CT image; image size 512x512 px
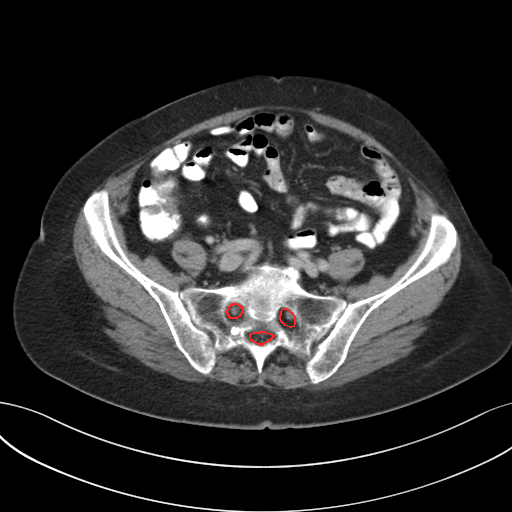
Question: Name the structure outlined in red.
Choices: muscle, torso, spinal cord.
Answer: red: spinal cord.
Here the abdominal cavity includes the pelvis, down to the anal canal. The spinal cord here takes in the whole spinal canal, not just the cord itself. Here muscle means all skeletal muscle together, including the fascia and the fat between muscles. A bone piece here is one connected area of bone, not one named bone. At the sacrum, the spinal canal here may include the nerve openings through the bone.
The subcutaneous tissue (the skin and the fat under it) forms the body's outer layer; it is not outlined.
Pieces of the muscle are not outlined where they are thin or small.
Outlined structures:
spinal cord 1: (261, 331) (264, 331) (265, 332) (270, 333) (272, 335) (273, 335) (273, 336) (269, 340) (268, 340) (266, 342) (265, 342) (261, 345) (260, 344) (258, 344) (254, 342) (252, 340) (251, 340) (250, 338) (250, 334) (251, 333) (253, 332) (260, 332)
spinal cord 2: (284, 308) (286, 308) (288, 309) (289, 311) (291, 312) (294, 316) (294, 324) (293, 326) (291, 327) (289, 327) (285, 325) (281, 321) (280, 319) (280, 315) (281, 314) (281, 311) (282, 309)
spinal cord 3: (233, 303) (236, 303) (237, 304) (238, 304) (240, 306) (241, 306) (241, 307) (242, 308) (242, 311) (241, 312) (241, 313) (239, 315) (239, 316) (236, 318) (231, 318) (230, 317) (229, 317) (229, 316) (227, 313) (227, 310) (228, 309) (229, 306) (231, 304) (232, 304)
bones: (102, 189) (126, 256) (173, 291) (235, 284) (267, 262) (292, 266) (308, 292) (350, 303) (406, 272) (433, 213) (457, 240) (445, 263) (371, 311) (326, 379) (312, 383) (309, 358) (282, 347) (260, 373) (246, 349) (218, 352) (206, 375) (154, 298) (94, 243) (83, 206); inner edges: (261, 331) (264, 331) (265, 332) (270, 333) (272, 335) (273, 335) (273, 336) (269, 340) (268, 340) (266, 342) (265, 342) (261, 345) (260, 344) (258, 344) (254, 342) (252, 340) (251, 340) (250, 338) (250, 334) (251, 333) (253, 332) (260, 332), then (284, 308) (286, 308) (288, 309) (289, 311) (291, 312) (294, 316) (294, 324) (293, 326) (291, 327) (289, 327) (285, 325) (281, 321) (280, 319) (280, 315) (281, 314) (281, 311) (282, 309), then (233, 303) (236, 303) (237, 304) (238, 304) (240, 306) (241, 306) (241, 307) (242, 308) (242, 311) (241, 312) (241, 313) (239, 315) (239, 316) (236, 318) (231, 318) (230, 317) (229, 317) (229, 316) (227, 313) (227, 310) (228, 309) (229, 306) (231, 304) (232, 304)
torso: (252, 73) (348, 82) (383, 97) (417, 126) (450, 168) (471, 222) (511, 280) (511, 348) (498, 362) (445, 391) (385, 413) (315, 427) (234, 429) (130, 411) (85, 394) (30, 361) (14, 331) (12, 298) (24, 258) (39, 234) (44, 205) (61, 175) (127, 121) (191, 92)
muscle 1: (82, 206) (93, 243) (153, 298) (175, 346) (206, 376) (218, 353) (240, 347) (260, 374) (282, 348) (307, 357) (318, 384) (343, 364) (372, 311) (450, 259) (458, 232) (461, 264) (416, 347) (366, 375) (321, 390) (189, 382) (143, 364) (102, 330) (100, 299) (72, 249)
muscle 2: (265, 104) (311, 109) (348, 122) (369, 133) (429, 189) (439, 204) (449, 213) (452, 221) (439, 212) (430, 215) (426, 239) (418, 255) (405, 272) (385, 289) (350, 302) (337, 296) (340, 286) (365, 283) (374, 274) (389, 277) (408, 258) (418, 242) (411, 231) (414, 192) (406, 176) (392, 159) (363, 139) (321, 124) (302, 112) (288, 109) (254, 110) (162, 147) (136, 171) (127, 196) (126, 209) (119, 217) (127, 247) (141, 259) (148, 255) (155, 256) (173, 273) (184, 270) (172, 257) (171, 250) (176, 240) (186, 238) (197, 242) (207, 253) (206, 264) (193, 278) (193, 285) (173, 290) (155, 281) (141, 271) (122, 248) (111, 218) (108, 191) (102, 188) (91, 192) (122, 165) (143, 155) (153, 146) (180, 131) (234, 108)
muscle 3: (349, 247) (359, 248) (363, 254) (363, 256) (365, 259) (365, 262) (362, 269) (359, 272) (347, 281) (345, 282) (341, 282) (336, 279) (332, 278) (328, 274) (328, 270) (329, 269) (328, 268) (329, 267) (328, 266) (328, 256) (334, 252) (337, 252) (339, 250) (345, 249)
abdominal cavity: (260, 110) (302, 113) (363, 140) (405, 176) (417, 242) (389, 276) (374, 273) (324, 295) (306, 290) (292, 265) (265, 261) (248, 265) (235, 283) (202, 287) (194, 278) (208, 253) (199, 242) (172, 243) (183, 270) (177, 272) (128, 247) (120, 217) (139, 168) (182, 138); inner edge: (349, 247) (359, 248) (363, 254) (363, 256) (365, 259) (365, 262) (362, 269) (359, 272) (347, 281) (345, 282) (341, 282) (336, 279) (332, 278) (328, 274) (328, 270) (329, 269) (328, 268) (329, 267) (328, 266) (328, 256) (334, 252) (337, 252) (339, 250) (345, 249)